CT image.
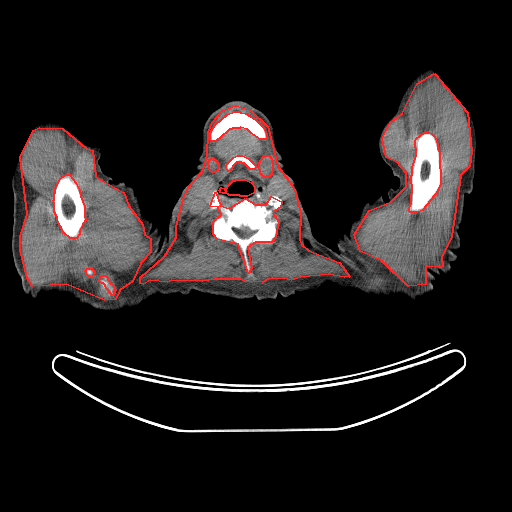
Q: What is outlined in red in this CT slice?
A: red: muscle.
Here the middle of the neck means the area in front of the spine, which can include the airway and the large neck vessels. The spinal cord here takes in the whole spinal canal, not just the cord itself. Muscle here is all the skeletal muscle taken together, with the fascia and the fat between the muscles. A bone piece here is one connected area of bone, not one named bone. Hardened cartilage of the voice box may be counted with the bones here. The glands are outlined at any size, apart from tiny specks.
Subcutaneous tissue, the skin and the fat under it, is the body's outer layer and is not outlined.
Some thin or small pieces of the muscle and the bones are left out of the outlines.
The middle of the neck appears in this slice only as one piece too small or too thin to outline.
{"muscle":[{"outer":[[39,127],[62,128],[86,148],[92,150],[95,176],[123,192],[128,205],[142,224],[144,234],[150,238],[150,252],[140,263],[132,281],[119,290],[115,299],[104,300],[66,284],[32,286],[27,278],[20,249],[20,236],[27,214],[20,157],[33,130]],"holes":[[[66,174],[69,174],[75,182],[79,190],[80,196],[84,206],[84,216],[85,217],[85,220],[82,224],[79,230],[79,234],[76,238],[70,238],[63,232],[61,227],[58,223],[57,217],[54,212],[54,202],[53,200],[54,199],[55,189],[60,178]],[[102,275],[105,275],[107,277],[107,279],[109,281],[109,282],[110,283],[111,283],[113,285],[113,286],[114,287],[115,290],[114,291],[114,293],[112,295],[106,288],[105,285],[103,283],[102,283],[99,281],[99,279],[101,277],[101,276]],[[87,268],[88,268],[89,268],[90,268],[91,268],[92,269],[93,270],[93,271],[94,272],[94,273],[93,274],[93,275],[92,276],[91,277],[90,277],[89,276],[88,276],[87,275],[86,274],[86,273],[86,272],[85,271],[85,270],[86,269]]]},{"outer":[[235,105],[249,109],[267,126],[277,165],[291,184],[295,193],[300,212],[299,240],[301,244],[308,250],[339,262],[349,276],[344,277],[328,274],[300,277],[291,280],[283,278],[267,279],[262,282],[244,281],[240,279],[214,279],[202,281],[171,280],[167,282],[150,280],[143,284],[140,283],[140,277],[164,256],[176,237],[176,226],[184,196],[188,187],[202,171],[204,166],[207,155],[208,132],[212,122],[222,110]],"holes":[[[215,192],[220,205],[229,208],[245,198],[255,204],[266,204],[271,196],[281,201],[280,207],[272,212],[278,221],[275,237],[271,242],[255,242],[247,247],[251,268],[248,273],[238,244],[217,239],[213,234],[213,221],[221,214],[218,207],[210,206]],[[234,111],[239,111],[240,112],[245,113],[255,119],[263,127],[266,134],[266,138],[265,139],[260,139],[251,133],[247,129],[240,127],[239,128],[232,128],[231,129],[229,129],[219,138],[214,141],[211,141],[210,139],[210,132],[215,124],[227,114]],[[236,179],[245,179],[251,182],[254,186],[254,191],[253,193],[247,196],[240,196],[239,195],[229,195],[225,192],[224,193],[222,193],[220,192],[219,190],[221,187],[224,188],[224,189],[226,190],[229,184],[233,180],[235,180]],[[264,155],[268,155],[269,156],[270,156],[270,157],[271,158],[271,159],[272,160],[272,171],[271,172],[271,174],[269,176],[266,176],[265,177],[264,177],[260,173],[260,170],[259,169],[259,162],[260,161],[260,160],[262,158],[262,157]],[[237,155],[242,155],[248,158],[255,165],[255,167],[254,169],[250,169],[244,163],[242,163],[241,162],[236,162],[232,166],[230,170],[228,171],[226,167],[226,165],[227,163],[233,157]],[[212,157],[218,163],[218,166],[217,167],[217,170],[216,171],[215,171],[214,172],[212,172],[209,169],[209,166],[208,165],[208,162],[209,161],[209,159],[210,159]]]},{"outer":[[434,73],[467,112],[471,151],[469,166],[460,175],[451,236],[441,257],[442,266],[425,267],[425,284],[408,286],[382,261],[360,251],[354,234],[369,210],[391,201],[406,186],[406,173],[397,162],[386,157],[382,138],[390,122],[402,113],[417,83]],"hole":[[424,132],[429,132],[431,133],[434,136],[437,144],[437,148],[439,153],[440,184],[434,195],[422,210],[417,212],[410,212],[409,211],[409,208],[411,203],[411,193],[412,192],[411,175],[412,174],[412,167],[416,155],[415,140],[416,138]]}],"right_arm":[[[49,119],[65,125],[84,142],[100,147],[101,156],[98,162],[101,170],[112,178],[115,186],[115,217],[106,251],[93,277],[76,300],[66,293],[40,292],[35,298],[26,294],[22,288],[21,279],[12,257],[12,179],[21,154],[34,128],[40,121]]],"torso":[[[120,181],[123,181],[133,188],[142,213],[151,220],[153,227],[160,229],[162,233],[162,249],[188,295],[181,295],[179,293],[165,295],[159,293],[142,301],[135,307],[125,307],[115,311],[95,309],[77,301],[94,277],[107,251],[116,217],[115,183]],[[351,223],[355,243],[361,256],[366,262],[392,281],[427,295],[414,301],[411,301],[404,295],[393,295],[386,299],[376,299],[354,289],[344,289],[331,284],[319,291],[301,293],[315,260],[316,239],[336,251],[338,249],[338,238],[344,232],[348,231]]],"spinal_cord":[[[243,226],[244,227],[247,227],[251,230],[253,230],[254,231],[255,231],[255,232],[247,238],[243,238],[242,237],[240,237],[237,233],[237,232],[236,231],[236,229],[239,229]]],"bones":[{"outer":[[215,192],[220,205],[229,208],[245,198],[255,204],[266,204],[271,196],[281,201],[280,207],[272,212],[278,221],[275,237],[271,242],[255,242],[247,247],[251,268],[248,273],[238,244],[217,239],[213,234],[213,221],[221,214],[218,207],[210,206]],"hole":[[243,226],[244,227],[247,227],[251,230],[253,230],[254,231],[255,231],[255,232],[247,238],[243,238],[242,237],[240,237],[237,233],[237,232],[236,231],[236,229],[239,229]]},[[424,132],[429,132],[431,133],[434,136],[437,144],[437,148],[439,153],[440,184],[434,195],[422,210],[417,212],[410,212],[409,211],[409,208],[411,203],[411,193],[412,192],[411,175],[412,174],[412,167],[416,155],[415,140],[416,138]],[[66,174],[69,174],[75,182],[79,190],[80,196],[84,206],[84,216],[85,217],[85,220],[82,224],[79,230],[79,234],[76,238],[70,238],[63,232],[61,227],[58,223],[57,217],[54,212],[54,202],[53,200],[54,199],[55,189],[60,178]],[[234,111],[239,111],[240,112],[245,113],[255,119],[263,127],[266,134],[266,138],[265,139],[260,139],[251,133],[247,129],[240,127],[239,128],[232,128],[231,129],[229,129],[219,138],[214,141],[211,141],[210,139],[210,132],[215,124],[227,114]],[[237,155],[242,155],[248,158],[255,165],[255,167],[254,169],[250,169],[244,163],[242,163],[241,162],[236,162],[232,166],[230,170],[228,171],[226,167],[226,165],[227,163],[233,157]],[[102,275],[105,275],[107,277],[107,279],[109,281],[109,282],[110,283],[111,283],[113,285],[113,286],[114,287],[115,290],[114,291],[114,293],[112,295],[106,288],[105,285],[103,283],[102,283],[99,281],[99,279],[101,277],[101,276]]],"head_and_neck":[{"outer":[[231,100],[249,103],[262,111],[272,123],[284,170],[294,181],[315,238],[311,270],[300,291],[287,298],[279,295],[275,299],[234,299],[197,290],[192,290],[189,294],[163,249],[163,234],[167,230],[172,209],[188,180],[196,172],[203,125],[214,110]],"hole":[[236,179],[243,179],[244,180],[248,180],[250,182],[251,182],[254,186],[254,191],[253,193],[247,196],[240,196],[239,195],[229,195],[225,192],[224,193],[220,192],[219,190],[221,187],[224,188],[224,189],[226,190],[229,184],[233,180],[235,180]]}],"left_arm":[[[423,67],[430,69],[459,101],[474,124],[476,136],[473,189],[464,196],[457,259],[448,274],[435,275],[433,291],[428,294],[392,280],[366,261],[352,222],[366,201],[372,202],[379,195],[386,201],[387,190],[399,184],[380,155],[378,139],[407,84]]],"submandibular_glands":[[[264,155],[268,155],[269,156],[270,156],[270,157],[271,158],[271,159],[272,160],[272,171],[271,172],[271,174],[269,176],[266,176],[265,177],[264,177],[260,173],[260,170],[259,169],[259,162],[260,161],[260,160],[262,158],[262,157]],[[212,157],[218,163],[218,166],[217,167],[217,170],[216,171],[215,171],[214,172],[212,172],[209,169],[209,166],[208,165],[208,162],[209,161],[209,159],[210,159]]]}